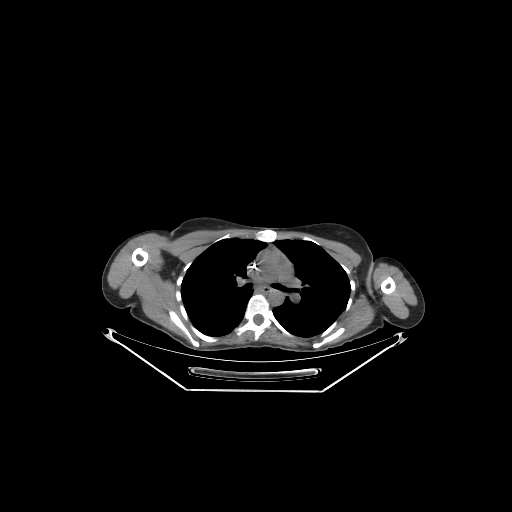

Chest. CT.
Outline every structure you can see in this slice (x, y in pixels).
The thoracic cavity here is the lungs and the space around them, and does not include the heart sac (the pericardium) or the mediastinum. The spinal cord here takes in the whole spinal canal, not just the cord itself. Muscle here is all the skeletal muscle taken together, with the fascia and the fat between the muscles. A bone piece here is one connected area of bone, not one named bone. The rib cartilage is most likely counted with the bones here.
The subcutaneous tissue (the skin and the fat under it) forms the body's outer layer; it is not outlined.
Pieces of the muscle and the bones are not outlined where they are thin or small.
{"right_arm":[[[152,228],[172,229],[171,239],[167,245],[166,249],[159,263],[157,265],[155,271],[147,281],[140,294],[128,308],[124,308],[123,309],[116,308],[112,306],[105,299],[102,294],[101,290],[101,275],[103,268],[113,250],[123,240],[135,233]]],"left_arm":[[[379,256],[389,256],[395,258],[401,262],[413,276],[422,291],[425,299],[425,312],[421,321],[417,325],[411,328],[403,330],[399,327],[396,327],[389,323],[387,323],[385,316],[375,305],[369,293],[368,289],[368,275],[369,271],[373,264],[374,258]]],"torso":[[[200,216],[217,217],[252,226],[285,227],[336,222],[353,228],[364,237],[371,250],[373,260],[367,275],[367,289],[386,323],[375,332],[327,351],[327,353],[293,352],[270,347],[197,352],[134,319],[128,309],[156,271],[172,239],[173,229],[186,219]]],"thoracic_cavity":[[[233,237],[250,238],[264,242],[266,243],[266,245],[257,252],[252,261],[249,262],[246,266],[246,274],[251,284],[252,294],[247,300],[241,321],[228,333],[219,336],[208,335],[200,331],[190,321],[182,301],[182,281],[192,262],[206,248],[213,243]],[[283,239],[300,239],[321,246],[340,265],[348,277],[350,285],[350,294],[343,311],[328,327],[317,335],[295,335],[287,330],[277,320],[274,315],[272,309],[281,305],[285,299],[290,296],[290,293],[293,290],[297,280],[294,264],[274,242],[276,240]]],"bones":[{"outer":[[253,294],[262,294],[266,298],[276,320],[287,331],[294,335],[293,337],[289,337],[285,335],[273,324],[266,328],[259,336],[258,339],[256,341],[254,339],[254,332],[252,330],[246,330],[240,335],[237,335],[233,331],[234,328],[242,321],[248,300]],"hole":[[258,314],[259,315],[261,315],[262,316],[262,317],[263,318],[263,320],[262,321],[262,322],[261,323],[260,323],[259,324],[257,324],[254,321],[254,316],[255,315],[257,315]]},[[169,310],[174,311],[178,315],[187,328],[189,327],[190,323],[191,323],[195,328],[203,334],[208,336],[218,337],[218,339],[213,342],[208,342],[199,338],[192,332],[191,333],[192,336],[199,342],[199,346],[195,347],[192,345],[184,332],[170,319]],[[336,320],[337,321],[337,323],[336,324],[336,326],[334,328],[335,329],[337,329],[340,327],[343,327],[345,329],[344,331],[340,335],[334,338],[331,341],[317,348],[314,348],[312,346],[313,343],[318,342],[322,339],[319,335],[327,328],[328,328]],[[267,228],[271,229],[274,231],[276,231],[280,235],[283,235],[284,234],[290,234],[293,236],[293,238],[283,238],[282,239],[276,239],[274,241],[270,241],[269,242],[265,242],[261,240],[255,239],[254,237],[256,232],[258,230],[262,230]],[[137,247],[140,247],[141,248],[142,248],[144,250],[145,250],[148,253],[148,258],[147,259],[147,260],[146,261],[146,262],[143,265],[142,265],[141,266],[136,266],[133,263],[133,262],[131,259],[131,256],[132,255],[132,253],[133,252],[133,251]],[[387,276],[390,276],[393,279],[393,280],[394,281],[394,282],[395,283],[395,288],[394,289],[394,290],[391,293],[390,293],[389,294],[387,294],[386,293],[384,293],[381,290],[381,288],[380,287],[380,285],[381,284],[381,282]],[[178,289],[180,290],[180,294],[181,295],[181,301],[183,304],[183,306],[185,309],[185,311],[188,316],[188,318],[189,319],[188,321],[185,320],[183,316],[181,314],[181,311],[180,310],[180,307],[179,306],[180,304],[176,298],[176,291]],[[189,262],[191,262],[191,263],[190,265],[187,268],[183,276],[183,278],[181,281],[181,284],[180,285],[180,287],[179,287],[177,285],[176,283],[176,281],[178,277],[183,273],[183,268],[184,266],[187,263]],[[227,233],[230,233],[231,234],[233,234],[234,233],[237,233],[238,234],[238,236],[233,236],[232,237],[229,237],[228,238],[223,238],[220,240],[218,240],[215,242],[213,242],[215,239],[216,239],[217,238],[218,238],[219,237],[220,237]],[[304,235],[306,235],[309,237],[311,237],[313,239],[316,240],[318,242],[319,242],[320,243],[320,245],[318,245],[317,244],[316,244],[315,243],[314,243],[313,242],[312,242],[309,240],[304,240],[303,239],[301,239],[300,238],[302,236],[303,236]],[[350,296],[352,298],[352,301],[350,304],[350,306],[349,307],[349,308],[348,309],[348,310],[347,311],[345,311],[344,310],[345,309],[345,308],[347,305],[347,303],[348,302],[348,300],[349,299],[349,298],[350,297]],[[340,263],[342,263],[345,266],[346,266],[346,267],[349,270],[349,271],[350,272],[350,273],[349,274],[349,275],[348,275],[347,274],[347,273],[345,271],[345,270],[341,266],[341,265],[340,264]]],"spinal_cord":[[[258,314],[259,315],[261,315],[262,316],[262,317],[263,318],[263,320],[262,321],[262,322],[261,323],[260,323],[259,324],[257,324],[254,321],[254,316],[255,315],[257,315]]],"muscle":[{"outer":[[229,228],[256,230],[253,238],[239,237],[237,232],[227,232],[215,238],[192,261],[187,262],[183,266],[182,273],[175,281],[176,285],[180,288],[175,291],[180,314],[185,321],[190,322],[187,327],[179,315],[172,309],[168,310],[168,315],[169,319],[183,332],[189,342],[147,317],[138,305],[138,297],[122,299],[118,297],[108,284],[107,275],[113,260],[130,240],[138,236],[157,233],[173,240],[195,230]],"holes":[[[137,247],[140,247],[141,248],[142,248],[144,250],[145,250],[148,253],[148,258],[147,259],[147,260],[146,261],[146,262],[143,265],[142,265],[141,266],[136,266],[133,263],[133,262],[131,259],[131,256],[132,255],[132,253],[133,252],[133,251]],[[169,258],[172,258],[173,259],[175,259],[176,260],[177,260],[178,261],[179,261],[179,264],[180,265],[180,269],[178,271],[178,272],[173,277],[167,277],[164,274],[164,268],[165,267],[165,266],[166,265],[166,262],[167,261],[167,260]]]},[[279,231],[304,232],[339,241],[358,253],[362,261],[355,269],[356,275],[365,293],[366,300],[376,313],[372,322],[349,337],[335,343],[324,345],[340,336],[346,329],[343,326],[335,328],[338,323],[338,317],[342,312],[347,312],[351,306],[353,298],[350,295],[356,289],[355,282],[352,278],[349,278],[348,276],[351,272],[347,266],[342,262],[339,263],[319,241],[306,234],[299,238],[294,238],[290,233],[280,234]],{"outer":[[380,262],[384,262],[390,265],[393,265],[397,267],[408,280],[414,291],[414,293],[417,298],[417,304],[412,308],[410,315],[405,319],[400,319],[394,316],[390,312],[386,311],[381,303],[381,301],[373,283],[373,275],[375,271],[375,268],[376,265]],"hole":[[387,276],[390,276],[393,279],[393,280],[394,281],[394,282],[395,283],[395,288],[394,289],[394,290],[391,293],[390,293],[389,294],[387,294],[386,293],[384,293],[381,290],[381,288],[380,287],[380,285],[381,284],[381,282]]},[[272,325],[276,327],[285,336],[289,338],[293,338],[295,336],[299,336],[300,337],[312,337],[318,335],[321,339],[318,341],[313,342],[311,345],[312,347],[301,346],[300,345],[298,346],[289,346],[288,345],[277,344],[271,342],[257,341],[265,330]],[[232,331],[237,336],[240,336],[246,331],[252,331],[253,332],[253,339],[255,341],[239,343],[238,344],[217,344],[216,345],[200,346],[200,342],[192,334],[192,333],[199,339],[205,342],[213,343],[216,342],[219,339],[220,336],[228,334]]],"mediastinum":[[[270,242],[273,242],[293,264],[294,273],[296,277],[295,284],[289,293],[289,296],[287,296],[281,304],[272,308],[270,306],[269,301],[262,293],[253,293],[252,284],[250,282],[247,274],[248,264],[252,262],[258,252],[263,249],[267,245],[267,243]]]}